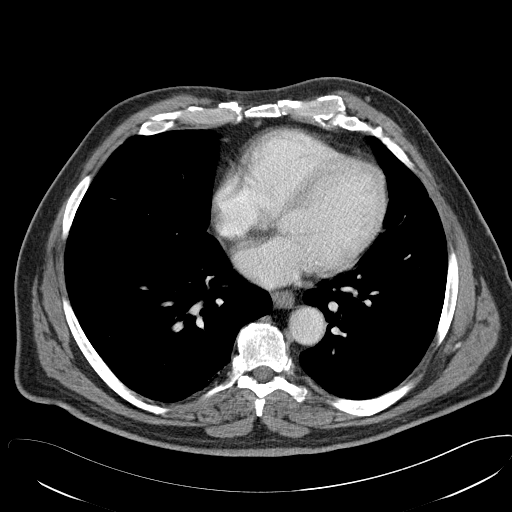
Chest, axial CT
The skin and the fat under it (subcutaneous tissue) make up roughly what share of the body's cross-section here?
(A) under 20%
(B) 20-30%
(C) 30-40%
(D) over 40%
Answer: (A) under 20%
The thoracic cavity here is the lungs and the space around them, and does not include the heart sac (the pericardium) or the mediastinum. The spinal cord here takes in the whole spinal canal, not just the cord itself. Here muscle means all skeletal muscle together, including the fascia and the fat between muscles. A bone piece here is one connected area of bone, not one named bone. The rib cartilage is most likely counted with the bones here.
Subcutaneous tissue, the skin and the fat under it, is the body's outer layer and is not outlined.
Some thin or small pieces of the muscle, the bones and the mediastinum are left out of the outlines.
The pericardium is outlined by 277 124; 294 124; 309 127; 340 142; 367 152; 373 156; 382 170; 386 183; 388 200; 382 220; 382 229; 369 247; 345 271; 301 288; 285 286; 267 289; 251 282; 234 268; 226 251; 210 228; 212 195; 234 153; 249 135; 264 127. The thoracic cavity appears in 2 outlined pieces: piece 1: 175 129; 211 130; 216 134; 217 161; 206 231; 218 241; 233 268; 267 292; 271 311; 238 331; 236 353; 231 356; 229 368; 217 380; 179 401; 167 403; 128 387; 94 348; 68 296; 64 253; 83 197; 112 152; 131 135; 149 136; piece 2: 369 136; 378 139; 423 184; 444 232; 447 268; 435 333; 420 361; 393 388; 374 397; 351 399; 326 391; 296 369; 293 360; 297 362; 301 352; 315 346; 327 327; 321 310; 303 300; 304 292; 351 268; 383 229; 389 200; 387 183. The mediastinum appears in 2 outlined pieces: piece 1: 318 281; 320 281; 317 285; 303 292; 302 300; 323 314; 326 322; 325 332; 315 345; 299 353; 297 361; 288 353; 288 345; 277 326; 269 322; 254 321; 272 311; 272 300; 268 292; 262 288; 267 290; 285 287; 301 289; piece 2: 281 117; 307 121; 326 130; 366 133; 370 135; 366 139; 370 144; 373 155; 315 128; 294 123; 277 123; 264 126; 246 137; 233 153; 213 191; 218 161; 217 134; 211 129; 177 128; 180 125; 218 126; 227 123; 238 124; 245 119. The muscle appears in 2 outlined pieces: piece 1: 336 89; 357 95; 403 130; 457 217; 467 239; 473 275; 485 281; 501 325; 495 346; 474 374; 450 391; 376 423; 312 428; 303 436; 289 437; 257 421; 243 436; 216 437; 207 434; 201 426; 152 424; 126 417; 45 373; 33 335; 32 286; 35 276; 41 275; 46 243; 58 210; 93 150; 117 125; 155 101; 185 92; 220 101; 213 106; 191 104; 151 114; 111 152; 93 177; 88 173; 77 182; 66 200; 61 239; 65 243; 63 271; 68 297; 63 295; 61 304; 71 335; 89 365; 121 398; 155 415; 163 415; 170 409; 154 401; 179 402; 211 386; 229 369; 226 379; 204 391; 198 399; 208 399; 235 384; 238 389; 249 389; 255 394; 254 411; 258 417; 263 413; 266 397; 276 390; 301 403; 310 388; 324 396; 335 409; 356 417; 374 415; 411 390; 422 375; 407 377; 430 345; 436 348; 442 343; 450 328; 458 297; 458 259; 452 247; 448 250; 440 216; 416 174; 414 163; 384 133; 381 125; 348 114; 338 94; 297 99; piece 2: 295 370; 297 370; 298 371; 301 372; 303 374; 304 374; 309 378; 307 378; 306 379; 306 382; 307 383; 307 385; 306 385; 305 384; 299 384; 294 381; 292 381; 291 380; 290 380; 288 378; 288 377; 293 377; 295 375. The bones appear in 5 outlined pieces: piece 1: 251 322; 279 329; 295 366; 294 375; 287 378; 299 385; 307 386; 310 379; 331 395; 365 400; 421 376; 396 402; 365 416; 335 408; 310 387; 301 402; 281 389; 272 391; 260 416; 256 394; 235 383; 199 399; 227 379; 237 335, around a hole outlined by 259 366; 267 366; 268 367; 269 367; 272 370; 272 371; 274 373; 274 375; 272 377; 272 378; 270 380; 269 380; 268 381; 266 381; 265 382; 259 382; 255 378; 254 378; 253 377; 253 376; 252 375; 252 372; 253 371; 253 370; piece 2: 328 94; 342 98; 348 115; 381 126; 417 173; 375 136; 338 127; 326 129; 314 121; 289 116; 245 118; 238 123; 218 125; 180 124; 154 134; 131 134; 151 115; 191 105; 213 107; 221 101; 235 100; 245 110; 280 99; 309 100; piece 3: 63 296; 68 298; 73 312; 84 334; 93 348; 111 371; 131 390; 152 400; 154 403; 158 405; 167 407; 169 409; 167 412; 163 414; 155 414; 133 405; 109 387; 97 374; 82 353; 72 335; 63 310; 63 305; 62 304; 62 297; piece 4: 451 248; 455 252; 457 259; 457 264; 458 265; 457 297; 449 328; 441 343; 438 346; 435 347; 431 343; 434 342; 434 337; 436 333; 437 326; 439 322; 439 319; 441 315; 442 307; 444 302; 446 282; 447 281; 448 251; piece 5: 88 174; 91 174; 92 175; 92 179; 84 195; 82 197; 82 199; 76 210; 67 238; 65 242; 64 242; 62 239; 62 221; 63 220; 63 215; 64 214; 64 211; 65 210; 67 200; 73 189; 76 186; 78 182; 84 176. The torso is outlined by 320 76; 365 82; 404 103; 424 124; 469 190; 511 278; 511 358; 499 388; 481 400; 378 441; 283 457; 226 457; 160 448; 113 434; 60 407; 24 397; 13 377; 16 262; 40 200; 92 125; 116 103; 157 88; 209 85; 267 89. The spinal cord is outlined by 259 366; 267 366; 268 367; 269 367; 272 370; 272 371; 274 373; 274 375; 272 377; 272 378; 270 380; 269 380; 268 381; 266 381; 265 382; 259 382; 255 378; 254 378; 253 377; 253 376; 252 375; 252 372; 253 371; 253 370.